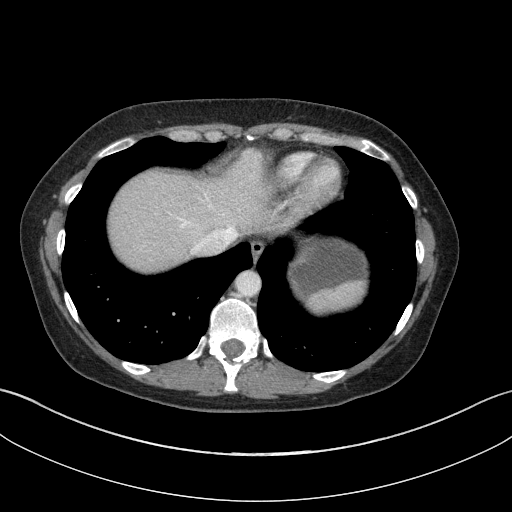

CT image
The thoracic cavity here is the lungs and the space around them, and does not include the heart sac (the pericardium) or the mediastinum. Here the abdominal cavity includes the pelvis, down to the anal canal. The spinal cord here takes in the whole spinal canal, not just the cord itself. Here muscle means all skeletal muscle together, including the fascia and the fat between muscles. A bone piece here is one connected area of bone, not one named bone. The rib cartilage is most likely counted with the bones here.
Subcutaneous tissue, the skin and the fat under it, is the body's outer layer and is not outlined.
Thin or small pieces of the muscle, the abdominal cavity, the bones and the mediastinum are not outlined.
{"torso":[[[205,413],[268,413],[335,407],[392,386],[422,356],[457,268],[459,239],[435,183],[406,142],[383,123],[351,109],[292,98],[213,97],[143,102],[115,110],[93,123],[34,187],[20,218],[20,250],[43,327],[61,358],[80,375],[106,387],[162,405]]],"mediastinum":[[[256,312],[257,299],[261,288],[261,278],[256,269],[256,262],[257,259],[263,253],[264,248],[269,243],[269,241],[265,238],[250,238],[249,239],[253,263],[249,268],[242,270],[236,275],[220,298],[220,299],[228,296],[239,297],[247,302]],[[335,152],[336,152],[333,149],[334,146],[324,146],[319,144],[314,143],[306,143],[301,141],[281,141],[275,139],[264,138],[264,141],[272,146],[280,145],[281,144],[293,143],[308,143],[309,144],[313,145],[317,145],[324,148],[328,148],[331,150],[333,150]]],"muscle":[[[252,398],[327,390],[370,367],[402,339],[427,299],[437,266],[433,230],[417,194],[414,190],[418,199],[418,208],[413,210],[415,233],[425,245],[425,255],[417,265],[411,299],[414,308],[403,329],[396,336],[390,334],[371,354],[331,383],[317,381],[311,377],[313,372],[296,369],[275,357],[269,359],[260,350],[238,372],[235,382],[239,390],[226,393],[223,368],[206,350],[195,360],[181,358],[152,364],[148,365],[148,373],[134,375],[69,314],[62,297],[65,287],[55,238],[64,226],[68,209],[63,202],[64,193],[85,179],[98,160],[94,157],[98,150],[62,186],[39,242],[46,282],[59,310],[95,354],[132,378],[163,388],[194,391],[196,395],[239,393]],[[288,140],[299,140],[297,135],[300,132],[303,131],[314,131],[326,133],[330,135],[340,136],[344,138],[348,137],[362,138],[360,136],[349,135],[345,133],[339,133],[316,126],[298,123],[290,123],[289,122],[262,123],[247,128],[221,122],[213,122],[194,125],[174,125],[163,128],[156,128],[153,130],[145,130],[139,133],[134,133],[128,135],[131,135],[140,139],[143,137],[155,134],[162,134],[167,136],[167,134],[170,131],[182,128],[195,129],[201,133],[212,129],[218,129],[223,132],[226,136],[226,138],[234,137],[246,139],[245,135],[247,133],[249,133],[254,135],[257,139],[262,137],[273,138],[271,136],[271,133],[276,127],[287,127],[291,129],[296,135]],[[413,189],[412,186],[407,181],[401,167],[399,165],[397,161],[391,155],[391,154],[389,153],[392,159],[390,161],[388,162],[386,162],[390,166],[390,167],[396,175],[400,184],[402,183],[407,184],[409,185]]],"pericardium":[[[298,220],[299,219],[303,220],[316,211],[341,198],[343,195],[343,189],[345,188],[345,176],[347,173],[345,166],[341,158],[336,153],[328,149],[324,149],[317,146],[308,144],[293,144],[281,145],[269,148],[268,156],[260,180],[260,195],[266,203]]],"bones":[{"outer":[[226,392],[238,390],[234,382],[237,372],[244,363],[255,358],[260,349],[265,356],[274,358],[266,338],[258,328],[256,313],[247,303],[236,297],[221,299],[214,306],[206,333],[185,357],[187,360],[195,359],[206,349],[224,368],[227,376],[224,386]],"hole":[[228,358],[231,358],[232,357],[237,356],[238,355],[239,355],[243,351],[243,350],[244,349],[244,346],[243,345],[243,344],[240,341],[239,341],[236,339],[230,339],[229,340],[224,342],[221,345],[221,348],[222,349],[222,350],[225,353],[225,354]]},[[384,161],[388,161],[391,159],[388,153],[375,143],[366,138],[362,139],[354,139],[353,138],[344,139],[340,137],[334,137],[326,134],[321,134],[314,132],[303,132],[298,135],[299,139],[302,141],[314,142],[324,145],[346,145]],[[210,142],[215,142],[225,138],[225,136],[222,133],[222,132],[218,130],[212,130],[211,131],[205,132],[203,134],[201,134],[195,130],[186,130],[185,129],[182,129],[181,130],[172,131],[168,134],[168,137],[178,141],[198,141],[202,137],[204,137]],[[98,159],[104,156],[106,156],[109,154],[111,154],[112,153],[117,152],[120,150],[125,149],[133,145],[138,140],[131,136],[126,136],[123,138],[121,138],[118,140],[116,140],[114,142],[109,144],[107,146],[103,148],[95,155],[95,157]],[[324,382],[331,382],[334,380],[336,380],[340,378],[347,372],[347,369],[339,369],[338,370],[334,370],[333,371],[327,371],[326,372],[318,372],[317,373],[313,373],[312,374],[312,377],[313,378],[317,380],[320,380],[321,381],[323,381]],[[134,374],[143,374],[144,373],[146,373],[148,372],[150,370],[150,368],[149,366],[147,365],[145,365],[144,364],[138,364],[137,363],[133,363],[132,362],[130,362],[129,361],[126,361],[125,360],[121,360],[120,362],[121,365],[126,370]],[[392,335],[396,335],[402,329],[402,328],[405,325],[406,322],[408,320],[411,314],[412,309],[413,308],[413,302],[412,301],[410,301],[406,306],[399,320],[397,322],[396,324],[396,326],[394,330],[391,334]],[[80,325],[82,325],[82,322],[77,313],[76,308],[75,307],[75,306],[74,305],[68,292],[66,290],[64,290],[63,291],[63,297],[64,298],[64,301],[65,302],[65,304],[66,305],[70,314],[72,316],[73,319],[78,324],[79,324]],[[412,209],[416,209],[417,208],[417,199],[416,198],[416,196],[415,195],[413,190],[409,186],[408,186],[407,185],[405,185],[404,184],[402,184],[401,185],[401,189],[402,190],[405,197],[407,199],[410,206],[412,208]],[[67,205],[69,205],[69,204],[72,201],[72,200],[75,197],[75,196],[81,188],[82,186],[82,184],[83,183],[82,181],[79,181],[75,183],[73,185],[72,185],[67,190],[67,191],[65,193],[65,195],[64,196],[64,202],[65,204]],[[60,256],[61,256],[62,255],[62,253],[63,252],[63,249],[64,248],[64,243],[65,242],[65,230],[64,229],[64,227],[62,227],[61,228],[60,228],[60,229],[57,233],[57,237],[56,238],[56,247],[57,248],[57,252]],[[417,264],[420,264],[421,263],[421,262],[422,261],[422,260],[423,259],[423,256],[424,255],[424,245],[423,244],[423,243],[422,242],[422,241],[419,238],[416,238],[416,239],[415,240],[415,255],[416,256],[416,260],[417,261]]],"abdominal_cavity":[[[319,318],[361,305],[370,264],[353,242],[300,230],[301,221],[263,201],[259,180],[271,147],[263,138],[238,139],[197,168],[150,166],[114,194],[106,236],[127,269],[155,275],[250,237],[265,237],[269,244],[287,237],[293,249],[288,287],[297,303]]],"thoracic_cavity":[[[145,364],[184,357],[196,346],[213,306],[235,275],[251,265],[250,246],[242,242],[164,274],[141,276],[118,263],[108,247],[108,204],[142,169],[197,167],[223,150],[223,140],[143,138],[100,159],[69,206],[62,256],[66,289],[83,323],[106,349]],[[314,372],[346,368],[371,353],[393,330],[415,283],[413,214],[395,175],[385,162],[346,146],[334,147],[350,170],[344,197],[299,228],[340,235],[365,250],[372,275],[362,305],[310,316],[285,281],[287,238],[268,245],[257,262],[261,332],[276,357]]],"spinal_cord":[[[228,358],[231,358],[232,357],[237,356],[238,355],[239,355],[243,351],[243,350],[244,349],[244,346],[243,345],[243,344],[240,341],[239,341],[236,339],[230,339],[229,340],[224,342],[221,345],[221,348],[222,349],[222,350],[225,353],[225,354]]]}